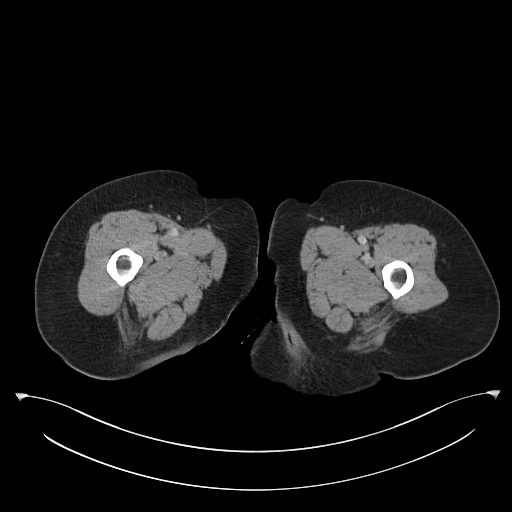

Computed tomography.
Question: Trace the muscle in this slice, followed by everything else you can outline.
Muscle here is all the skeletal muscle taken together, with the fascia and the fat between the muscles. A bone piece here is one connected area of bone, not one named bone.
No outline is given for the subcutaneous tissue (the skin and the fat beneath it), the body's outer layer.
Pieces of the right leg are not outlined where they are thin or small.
Answer: Outlined structures:
muscle 1: 130,208 170,214 185,223 197,226 209,224 227,249 227,261 223,275 218,282 208,289 192,319 165,341 140,353 132,354 121,347 115,323 111,318 87,312 77,297 77,281 84,262 84,242 89,227 104,213 with a hole at 122,247 129,247 132,250 139,254 143,259 143,262 140,268 138,270 137,273 134,276 134,277 124,286 120,286 110,276 110,275 107,272 107,270 106,269 106,264 107,263 107,261 112,254 112,253 116,250
muscle 2: 391,222 414,223 425,227 435,236 435,271 448,290 448,298 435,307 402,318 390,340 383,347 385,350 380,349 366,354 343,350 319,326 310,311 305,290 305,274 299,260 303,236 309,227 327,223 361,228 with a hole at 395,259 400,259 405,261 411,267 413,272 413,277 414,278 413,285 411,289 408,292 405,293 396,299 394,299 392,297 391,294 384,287 383,285 382,275 381,274 381,270 382,269 382,267 388,262 390,262
right leg: 155,169 184,172 197,180 203,195 237,196 253,208 260,228 257,280 249,295 233,310 224,326 184,355 163,361 129,378 94,378 66,364 46,345 38,331 34,315 34,279 38,262 52,228 77,198 112,179
left leg: 345,179 370,179 413,190 445,206 465,226 491,272 500,299 497,330 481,353 421,378 384,374 375,385 338,397 299,394 254,375 250,345 274,315 274,266 266,257 266,248 275,209 289,197 312,202 324,186
bones 1: 122,247 129,247 132,250 139,254 143,259 143,262 140,268 138,270 137,273 134,276 134,277 124,286 120,286 110,276 110,275 107,272 107,270 106,269 106,264 107,263 107,261 112,254 112,253 116,250
bones 2: 395,259 400,259 405,261 411,267 413,272 413,277 414,278 413,285 411,289 408,292 405,293 396,299 394,299 392,297 391,294 384,287 383,285 382,275 381,274 381,270 382,269 382,267 388,262 390,262